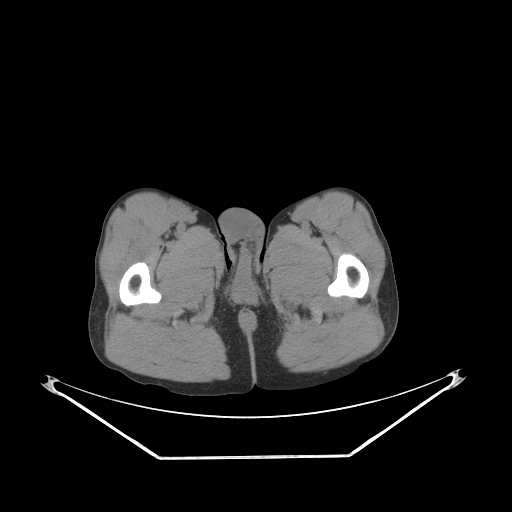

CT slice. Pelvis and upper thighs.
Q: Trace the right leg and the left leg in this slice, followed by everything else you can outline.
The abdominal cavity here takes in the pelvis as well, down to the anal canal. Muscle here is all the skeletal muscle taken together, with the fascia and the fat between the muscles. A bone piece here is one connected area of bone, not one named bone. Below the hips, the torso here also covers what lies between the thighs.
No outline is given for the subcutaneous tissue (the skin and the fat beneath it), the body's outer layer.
A: {"right_leg":[[[140,186],[153,186],[171,192],[216,217],[227,263],[225,294],[237,314],[238,327],[250,341],[254,387],[249,392],[219,396],[178,395],[159,386],[138,384],[108,368],[95,356],[89,342],[87,317],[94,286],[94,255],[102,222],[107,210],[120,195]]],"left_leg":[[[334,185],[351,188],[366,198],[370,203],[388,242],[399,298],[399,317],[395,333],[385,350],[379,356],[345,377],[303,389],[260,389],[255,387],[251,340],[256,332],[258,318],[263,307],[260,267],[264,255],[267,224],[278,211],[288,204],[312,192]]],"bones":[[[345,252],[354,254],[361,260],[367,269],[368,275],[369,276],[368,288],[364,296],[361,298],[352,298],[348,296],[333,297],[330,296],[327,292],[327,286],[335,278],[336,275],[336,267],[337,266],[337,260],[338,257],[340,254]],[[137,261],[143,261],[147,264],[149,268],[150,284],[154,288],[159,291],[161,293],[162,296],[160,301],[158,303],[154,303],[153,304],[142,303],[138,305],[126,306],[121,302],[119,298],[119,292],[118,291],[119,288],[119,282],[125,270],[131,264]]],"muscle":[{"outer":[[141,191],[164,193],[197,208],[206,225],[221,244],[225,271],[215,308],[214,326],[227,347],[232,368],[232,378],[229,380],[199,383],[151,377],[132,372],[117,365],[104,354],[103,325],[107,297],[100,276],[99,256],[106,227],[113,211],[127,197]],"hole":[[137,261],[143,261],[147,264],[149,268],[150,284],[154,288],[159,291],[161,293],[162,296],[160,301],[158,303],[154,303],[153,304],[142,303],[138,305],[126,306],[121,302],[119,298],[119,292],[118,291],[119,288],[119,282],[125,270],[131,264]]},{"outer":[[333,189],[351,193],[361,201],[369,213],[383,246],[385,269],[378,297],[385,334],[379,345],[371,352],[343,366],[331,369],[328,373],[291,373],[278,363],[275,356],[275,350],[282,335],[263,283],[261,271],[264,255],[277,226],[288,212],[300,202]],"hole":[[345,252],[354,254],[361,260],[367,269],[368,275],[369,276],[368,288],[364,296],[361,298],[352,298],[348,296],[333,297],[330,296],[327,292],[327,286],[335,278],[336,275],[336,267],[337,266],[337,260],[338,257],[340,254]]},{"outer":[[242,309],[250,309],[251,310],[252,310],[256,314],[256,315],[257,316],[257,319],[258,320],[258,327],[257,328],[256,328],[255,329],[255,330],[254,331],[242,331],[241,330],[241,329],[240,328],[240,326],[238,324],[238,314],[239,313],[239,312]],"hole":[[247,314],[248,315],[249,315],[250,316],[252,316],[253,317],[253,318],[254,319],[254,323],[251,326],[251,327],[246,327],[246,326],[242,322],[242,316],[245,316]]}],"torso":[[[231,206],[241,206],[251,210],[257,214],[266,224],[263,244],[263,255],[259,267],[262,307],[260,309],[257,318],[255,332],[250,340],[239,327],[238,314],[228,299],[225,288],[225,283],[228,275],[228,263],[225,245],[219,229],[217,216],[224,209]]],"abdominal_cavity":[[[247,314],[248,315],[249,315],[250,316],[252,316],[253,317],[253,318],[254,319],[254,323],[251,326],[251,327],[246,327],[246,326],[242,322],[242,316],[245,316]]]}